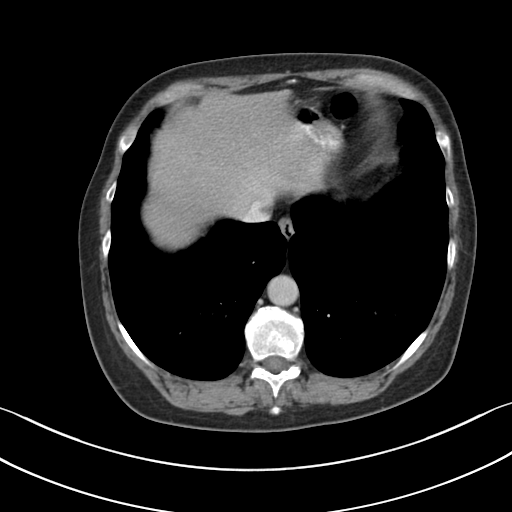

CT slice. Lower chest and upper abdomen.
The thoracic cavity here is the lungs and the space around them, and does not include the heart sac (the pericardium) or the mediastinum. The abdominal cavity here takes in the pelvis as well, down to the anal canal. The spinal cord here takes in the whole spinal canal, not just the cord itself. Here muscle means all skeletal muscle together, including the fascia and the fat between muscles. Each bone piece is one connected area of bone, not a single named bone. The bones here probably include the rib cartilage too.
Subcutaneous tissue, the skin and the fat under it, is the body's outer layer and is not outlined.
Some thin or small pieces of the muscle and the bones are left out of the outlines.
The thoracic cavity is outlined by [[400,98],[431,120],[448,208],[442,289],[403,352],[363,375],[318,370],[287,249],[231,373],[192,379],[150,360],[108,265],[122,158],[145,118],[162,115],[138,217],[172,255],[223,220],[273,221],[288,244],[290,208],[309,196],[369,204],[409,164]]. The bones appear in 9 outlined pieces: piece 1: [[268,305],[279,307],[300,317],[304,330],[302,349],[295,360],[300,366],[300,374],[296,378],[286,380],[281,385],[276,397],[273,395],[271,386],[265,380],[260,378],[251,379],[249,377],[253,361],[247,351],[244,335],[244,328],[251,314],[258,308]]; inner edge: [[270,356],[279,356],[280,357],[282,357],[284,358],[287,361],[288,363],[287,365],[287,367],[281,370],[279,372],[277,372],[276,373],[271,372],[269,370],[266,369],[263,366],[262,364],[262,362],[264,359]]; piece 2: [[361,73],[377,75],[378,76],[381,76],[386,79],[395,80],[398,82],[400,82],[409,87],[416,94],[416,97],[414,99],[402,97],[391,92],[387,88],[382,87],[379,85],[368,85],[364,83],[350,83],[349,81],[350,78],[356,74],[360,74]]; piece 3: [[186,83],[198,83],[199,84],[202,84],[203,86],[200,89],[196,89],[193,91],[190,91],[188,93],[178,97],[173,101],[163,105],[161,105],[157,103],[156,101],[158,97],[159,97],[164,92],[178,85],[181,85]]; piece 4: [[427,327],[428,328],[428,332],[425,338],[420,344],[420,345],[417,348],[417,349],[404,362],[403,362],[398,367],[397,367],[395,369],[391,369],[392,366],[397,361],[398,358],[404,352],[404,351],[410,345],[410,344],[420,334],[420,333],[421,333]]; piece 5: [[118,319],[119,319],[119,320],[127,331],[128,334],[130,336],[130,337],[132,339],[134,343],[143,353],[143,354],[150,361],[151,361],[154,364],[154,365],[152,367],[147,365],[140,358],[139,358],[134,353],[134,352],[125,341],[117,325],[117,320]]; piece 6: [[435,130],[441,130],[442,131],[445,132],[449,136],[449,137],[450,138],[450,156],[449,157],[449,158],[447,160],[446,160],[444,158],[444,156],[442,153],[442,151],[441,150],[441,149],[437,142],[437,140],[436,139],[436,135],[435,134]]; piece 7: [[133,126],[138,126],[138,129],[137,130],[137,132],[136,133],[135,138],[134,139],[134,140],[132,142],[132,143],[130,145],[130,146],[124,152],[124,153],[123,154],[122,153],[121,153],[119,150],[119,140],[120,139],[120,138],[124,134],[125,134]]; piece 8: [[451,237],[454,239],[454,240],[456,243],[456,247],[455,248],[455,250],[456,251],[455,252],[455,255],[454,256],[454,260],[453,261],[453,265],[452,266],[452,267],[449,270],[447,270],[447,248],[448,247],[448,242],[449,241],[449,238],[450,238]]; piece 9: [[109,228],[110,228],[110,232],[111,233],[111,241],[110,242],[110,247],[109,248],[109,251],[108,252],[108,256],[107,257],[107,259],[105,259],[104,258],[104,256],[103,255],[103,251],[102,250],[102,239],[107,229]]. The muscle is outlined by [[361,67],[392,73],[417,87],[433,104],[450,137],[445,131],[435,129],[427,110],[414,100],[417,94],[409,86],[364,72],[354,74],[348,79],[349,83],[305,77],[297,81],[294,77],[288,81],[279,78],[179,99],[204,86],[186,82],[157,97],[155,101],[160,105],[139,127],[133,125],[119,138],[118,150],[122,154],[119,173],[104,197],[110,203],[110,227],[102,236],[101,250],[107,260],[118,316],[116,325],[133,353],[147,366],[152,368],[155,364],[182,378],[222,379],[239,366],[246,351],[252,361],[248,377],[265,381],[274,398],[286,381],[301,374],[296,360],[302,350],[318,371],[329,376],[367,375],[396,359],[390,368],[395,370],[426,338],[446,272],[454,265],[457,243],[449,237],[448,216],[455,202],[445,183],[445,160],[451,156],[451,139],[459,195],[460,249],[452,303],[433,341],[382,392],[361,401],[296,407],[280,414],[281,408],[275,404],[269,409],[271,414],[250,410],[241,415],[194,411],[171,404],[119,346],[102,303],[100,198],[113,167],[121,132],[151,97],[178,80]]. The abdominal cavity is outlined by [[302,78],[381,88],[401,155],[408,160],[403,172],[366,204],[328,194],[306,196],[290,207],[287,199],[278,200],[263,221],[223,219],[187,249],[169,254],[154,247],[139,206],[146,191],[149,133],[163,115],[156,108],[182,98],[279,79],[294,84]]. The spinal cord is outlined by [[270,356],[279,356],[280,357],[282,357],[284,358],[287,361],[288,363],[287,365],[287,367],[281,370],[279,372],[277,372],[276,373],[271,372],[269,370],[266,369],[263,366],[262,364],[262,362],[264,359]]. The mediastinum appears in 3 outlined pieces: piece 1: [[287,250],[289,269],[293,278],[298,286],[299,293],[300,294],[300,316],[295,315],[286,309],[279,306],[276,305],[269,305],[268,304],[258,307],[253,312],[254,306],[257,300],[260,297],[268,281],[271,278],[278,274],[283,268],[286,261],[286,253]]; piece 2: [[283,200],[287,200],[289,202],[289,217],[291,220],[294,231],[294,233],[290,236],[288,243],[287,243],[287,239],[283,235],[279,225],[275,221],[273,220],[264,220],[268,220],[272,217],[272,213],[275,208],[275,204],[278,201],[282,201]]; piece 3: [[382,89],[384,90],[387,90],[391,93],[399,97],[401,97],[400,97],[398,99],[398,102],[402,108],[402,115],[397,123],[397,134],[395,133],[394,129],[391,124],[391,115],[390,114],[390,110],[385,103],[385,102],[381,98],[380,96],[381,90]]. The torso is outlined by [[279,52],[388,57],[426,75],[448,100],[462,140],[477,217],[474,271],[453,363],[445,377],[425,393],[384,411],[339,423],[276,432],[231,432],[147,419],[128,407],[113,390],[88,335],[78,261],[78,221],[86,188],[113,119],[142,83],[182,64]].